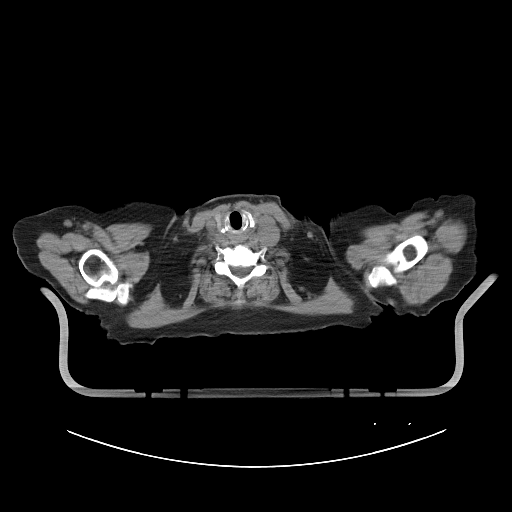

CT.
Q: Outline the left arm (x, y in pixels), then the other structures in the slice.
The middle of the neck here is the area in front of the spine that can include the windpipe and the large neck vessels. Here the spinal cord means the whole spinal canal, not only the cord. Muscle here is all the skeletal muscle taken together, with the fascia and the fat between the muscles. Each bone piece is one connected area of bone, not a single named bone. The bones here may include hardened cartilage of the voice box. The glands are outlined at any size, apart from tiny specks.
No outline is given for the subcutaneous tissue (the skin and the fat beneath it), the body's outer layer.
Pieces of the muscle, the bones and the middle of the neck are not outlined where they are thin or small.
A: {"left_arm":[[[459,192],[468,192],[477,197],[477,223],[480,229],[475,250],[477,271],[454,298],[441,302],[427,315],[398,315],[390,305],[385,305],[378,286],[369,226],[371,203],[378,203],[395,213],[409,208],[415,200],[425,196],[436,199],[442,193]]],"head_and_neck":[[[243,192],[270,193],[279,196],[282,204],[292,214],[299,218],[303,227],[307,243],[308,263],[306,283],[300,304],[290,318],[270,334],[231,334],[222,332],[218,329],[194,308],[170,258],[170,244],[172,240],[176,216],[178,213],[217,195],[220,196]]],"middle_of_the_neck":[[[231,208],[243,208],[243,230],[247,227],[255,227],[256,222],[253,213],[270,215],[276,223],[260,225],[245,239],[230,239],[210,231],[206,224],[214,216],[218,230],[224,233],[230,227],[230,220],[227,213],[224,218],[224,226],[221,226],[221,214]]],"right_arm":[[[131,200],[148,200],[169,203],[173,205],[177,213],[175,218],[169,224],[148,270],[139,283],[98,317],[95,315],[84,314],[70,306],[44,279],[28,272],[20,261],[12,237],[12,228],[20,218],[62,205],[77,204],[93,211],[101,211]]],"torso":[[[366,203],[370,203],[368,226],[375,276],[380,296],[385,306],[384,311],[380,315],[374,316],[371,324],[363,329],[339,325],[301,332],[271,334],[291,318],[300,306],[306,290],[309,249],[304,227],[298,216],[306,214],[326,231],[328,218],[331,215]],[[175,219],[169,244],[169,258],[193,308],[218,330],[225,334],[216,337],[162,337],[157,339],[153,344],[132,343],[121,345],[115,340],[107,339],[106,332],[100,327],[98,318],[140,283],[142,278],[149,270],[155,254],[160,247],[160,244],[170,224]]],"bones":[[[93,248],[102,250],[113,261],[118,270],[119,283],[131,282],[133,284],[133,287],[130,290],[131,298],[126,305],[121,305],[116,299],[111,302],[105,302],[90,299],[85,296],[85,293],[90,288],[90,285],[83,278],[79,270],[78,260],[85,251]],[[416,234],[421,235],[427,241],[428,249],[425,255],[407,270],[394,273],[393,274],[397,281],[395,284],[390,286],[381,285],[376,288],[373,288],[367,285],[365,281],[365,274],[368,273],[374,266],[381,264],[382,259],[385,255],[391,251],[395,246]],{"outer":[[236,244],[244,244],[254,251],[258,251],[265,246],[267,248],[264,255],[265,263],[270,266],[262,275],[254,276],[248,280],[244,284],[240,292],[231,279],[225,275],[218,274],[213,266],[217,255],[215,248],[216,245],[223,248],[228,245],[233,246]],"hole":[[237,266],[239,266],[240,267],[251,267],[251,269],[250,270],[250,271],[247,274],[246,274],[244,276],[242,276],[241,277],[240,277],[239,276],[238,276],[237,275],[236,275],[235,274],[234,274],[232,272],[232,271],[230,268],[230,267],[236,267]]},[[244,210],[246,210],[251,213],[251,214],[254,219],[253,220],[255,222],[255,225],[254,226],[254,227],[247,226],[245,228],[245,229],[243,229],[243,227],[244,226],[244,224],[245,223],[245,222],[244,221],[244,214],[243,213],[243,211]],[[227,214],[228,214],[228,219],[229,220],[229,227],[224,232],[221,232],[219,230],[222,227],[224,227],[225,226],[225,218],[226,217],[226,216],[227,215]]],"spinal_cord":[[[237,266],[239,266],[240,267],[251,267],[251,269],[250,270],[250,271],[247,274],[246,274],[244,276],[242,276],[241,277],[240,277],[239,276],[238,276],[237,275],[236,275],[235,274],[234,274],[232,272],[232,271],[230,268],[230,267],[236,267]]],"muscle":[{"outer":[[237,200],[247,200],[255,204],[266,201],[275,202],[293,225],[289,234],[288,245],[293,256],[294,279],[314,290],[319,290],[324,285],[327,274],[332,274],[355,298],[354,310],[348,314],[305,315],[270,308],[213,308],[186,320],[156,328],[129,326],[127,318],[130,311],[148,293],[155,277],[161,277],[165,290],[171,299],[178,301],[183,297],[186,289],[187,259],[194,244],[194,240],[181,230],[184,221],[200,210]],"holes":[[[236,244],[244,244],[254,251],[258,251],[265,246],[267,248],[264,255],[265,263],[270,266],[262,275],[254,276],[248,280],[244,284],[240,292],[231,279],[225,275],[218,274],[213,266],[217,255],[215,248],[216,245],[223,248],[228,245],[233,246]],[[231,208],[243,208],[244,210],[247,210],[252,214],[253,213],[259,213],[260,214],[270,215],[274,218],[276,223],[275,224],[262,224],[260,225],[250,236],[245,239],[230,239],[219,233],[210,231],[206,227],[206,224],[216,214],[220,215],[223,214]]]},[[434,208],[447,210],[467,226],[466,242],[453,260],[445,287],[419,305],[408,305],[390,287],[373,289],[395,285],[394,274],[407,271],[426,255],[428,241],[418,233],[387,252],[381,263],[364,274],[364,284],[345,260],[348,245],[361,240],[360,230]],[[67,218],[101,224],[143,222],[153,226],[149,239],[151,265],[133,299],[127,306],[115,307],[106,303],[116,300],[121,306],[126,306],[129,303],[132,298],[131,290],[134,284],[119,282],[116,264],[100,248],[85,250],[77,267],[89,285],[84,296],[101,301],[83,304],[74,300],[41,265],[34,246],[36,236]]],"thyroid_glands":[[[216,214],[219,214],[220,215],[220,226],[221,227],[219,229],[219,228],[217,226],[217,225],[216,224],[216,222],[215,221],[215,216],[216,215]]]}